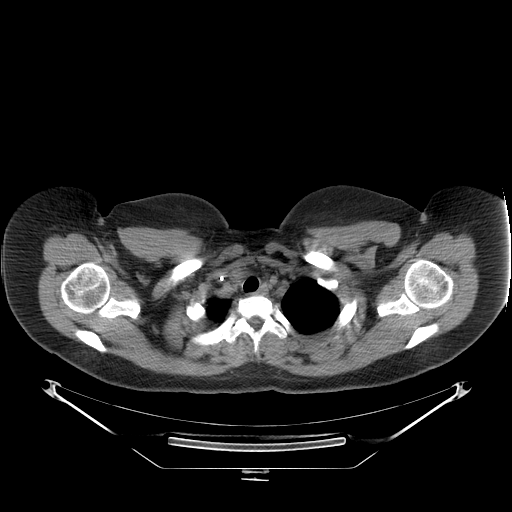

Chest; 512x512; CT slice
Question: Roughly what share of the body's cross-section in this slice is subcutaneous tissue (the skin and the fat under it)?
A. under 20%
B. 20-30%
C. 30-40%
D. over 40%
Answer: C. 30-40%
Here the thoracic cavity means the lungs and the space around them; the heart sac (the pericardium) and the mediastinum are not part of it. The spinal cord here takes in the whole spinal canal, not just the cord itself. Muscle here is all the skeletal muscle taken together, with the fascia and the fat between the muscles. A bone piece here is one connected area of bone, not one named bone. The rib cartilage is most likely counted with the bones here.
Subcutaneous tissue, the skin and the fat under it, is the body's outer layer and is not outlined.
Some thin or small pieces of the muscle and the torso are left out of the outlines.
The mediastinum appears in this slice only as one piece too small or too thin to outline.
Outlined structures:
bones 1: (252, 295) (262, 295) (278, 303) (282, 313) (299, 333) (297, 336) (289, 334) (280, 338) (266, 332) (259, 342) (258, 357) (253, 351) (252, 339) (245, 332) (238, 335) (233, 343) (222, 340) (212, 345) (200, 345) (191, 341) (192, 336) (221, 323) (234, 307) (234, 300) with a hole at (253, 316) (257, 316) (258, 317) (259, 317) (260, 318) (261, 318) (263, 320) (263, 322) (262, 323) (262, 324) (260, 326) (260, 327) (259, 328) (258, 328) (257, 329) (255, 329) (248, 322) (248, 319) (249, 319) (250, 318) (251, 318)
bones 2: (84, 262) (93, 262) (104, 269) (108, 275) (111, 296) (117, 300) (129, 298) (139, 303) (140, 311) (135, 319) (126, 315) (118, 315) (112, 318) (100, 317) (95, 311) (86, 314) (81, 313) (74, 311) (64, 303) (61, 297) (60, 285) (62, 281) (76, 266)
bones 3: (419, 258) (430, 260) (438, 264) (451, 276) (454, 284) (451, 298) (443, 305) (436, 308) (430, 308) (429, 309) (421, 308) (412, 314) (402, 315) (394, 313) (380, 317) (378, 315) (376, 309) (378, 303) (381, 300) (397, 299) (404, 292) (405, 273) (409, 266) (416, 259)
bones 4: (192, 257) (201, 257) (203, 258) (204, 259) (204, 262) (203, 264) (198, 269) (192, 272) (190, 274) (187, 275) (182, 279) (179, 280) (174, 285) (173, 285) (168, 280) (171, 274) (171, 270) (176, 265) (177, 265) (183, 260) (185, 260) (188, 258) (191, 258)
bones 5: (433, 322) (437, 322) (439, 324) (439, 329) (438, 331) (437, 331) (434, 334) (433, 334) (425, 340) (422, 341) (417, 345) (409, 349) (404, 349) (404, 346) (408, 341) (409, 338) (411, 336) (411, 334) (412, 332) (416, 327) (418, 326) (423, 326) (424, 325) (427, 325)
bones 6: (310, 249) (313, 249) (314, 250) (319, 250) (321, 252) (325, 253) (328, 256) (329, 256) (334, 261) (336, 269) (333, 271) (330, 271) (329, 270) (325, 270) (322, 268) (317, 267) (313, 264) (311, 264) (305, 261) (303, 259) (302, 255) (305, 252) (306, 252)
bones 7: (76, 329) (84, 329) (85, 330) (89, 330) (90, 331) (93, 331) (97, 334) (98, 334) (98, 335) (100, 337) (100, 339) (106, 347) (107, 349) (107, 351) (104, 353) (102, 353) (98, 351) (96, 349) (84, 343) (74, 334) (74, 332)
bones 8: (354, 299) (358, 299) (358, 301) (357, 302) (357, 308) (356, 309) (355, 314) (353, 316) (352, 319) (348, 323) (347, 323) (338, 330) (335, 328) (331, 328) (331, 326) (337, 318) (339, 314) (339, 312) (343, 308) (345, 303) (346, 304) (348, 304) (352, 302)
bones 9: (190, 300) (194, 300) (198, 302) (200, 302) (201, 301) (202, 302) (206, 310) (206, 318) (204, 319) (202, 319) (200, 321) (193, 321) (188, 317) (188, 316) (185, 312) (185, 307) (186, 305) (187, 305) (190, 302)
bones 10: (318, 276) (319, 276) (320, 277) (322, 277) (325, 279) (329, 279) (330, 278) (334, 278) (337, 280) (337, 287) (335, 290) (335, 294) (334, 293) (331, 292) (329, 290) (328, 290) (327, 289) (322, 287) (320, 285) (319, 285) (318, 284) (318, 283) (316, 280) (316, 278)
spinal cord: (253, 316) (257, 316) (258, 317) (259, 317) (260, 318) (261, 318) (263, 320) (263, 322) (262, 323) (262, 324) (260, 326) (260, 327) (259, 328) (258, 328) (257, 329) (255, 329) (248, 322) (248, 319) (249, 319) (250, 318) (251, 318)
right arm: (57, 185) (71, 185) (88, 190) (95, 196) (97, 207) (101, 214) (104, 216) (109, 214) (115, 226) (121, 250) (120, 278) (113, 298) (102, 313) (90, 325) (73, 334) (58, 338) (31, 338) (15, 319) (5, 297) (2, 275) (3, 233) (10, 215) (24, 199) (40, 189)
muscle: (363, 220) (398, 223) (401, 244) (446, 229) (470, 233) (476, 243) (480, 281) (473, 309) (459, 325) (422, 343) (439, 331) (440, 324) (418, 325) (405, 350) (345, 373) (300, 376) (255, 363) (206, 377) (155, 373) (106, 354) (107, 347) (93, 330) (73, 332) (90, 347) (68, 338) (49, 324) (40, 309) (37, 282) (45, 264) (42, 245) (59, 231) (117, 241) (120, 226) (186, 228) (217, 246) (241, 243) (253, 250) (272, 240) (291, 246) (307, 227) with holes at (257, 264) (315, 280) (318, 276) (336, 279) (339, 310) (358, 299) (355, 314) (338, 330) (330, 326) (285, 338) (266, 332) (258, 357) (245, 332) (233, 343) (192, 342) (192, 336) (218, 325) (207, 317) (190, 319) (185, 312) (190, 300) (200, 302) (209, 283) (222, 272) and at (84, 262) (93, 262) (104, 269) (108, 275) (111, 296) (117, 300) (129, 298) (139, 303) (140, 311) (135, 319) (126, 315) (118, 315) (112, 318) (100, 317) (95, 311) (86, 314) (81, 313) (74, 311) (64, 303) (61, 297) (60, 285) (62, 281) (76, 266) and at (419, 258) (430, 260) (438, 264) (451, 276) (454, 284) (451, 298) (443, 305) (436, 308) (430, 308) (429, 309) (421, 308) (412, 314) (402, 315) (394, 313) (380, 317) (378, 315) (376, 309) (378, 303) (381, 300) (397, 299) (404, 292) (405, 273) (409, 266) (416, 259) and at (192, 257) (201, 257) (203, 258) (204, 259) (204, 262) (203, 264) (198, 269) (192, 272) (190, 274) (187, 275) (182, 279) (179, 280) (174, 285) (173, 285) (168, 280) (171, 274) (171, 270) (176, 265) (177, 265) (183, 260) (185, 260) (188, 258) (191, 258) and at (310, 249) (313, 249) (314, 250) (319, 250) (321, 252) (325, 253) (328, 256) (329, 256) (334, 261) (336, 269) (333, 271) (330, 271) (329, 270) (325, 270) (322, 268) (317, 267) (313, 264) (311, 264) (305, 261) (303, 259) (302, 255) (305, 252) (306, 252)
thoracic cavity: (257, 264) (272, 268) (285, 268) (290, 272) (312, 278) (319, 286) (334, 294) (339, 303) (339, 311) (332, 324) (320, 331) (301, 333) (283, 313) (280, 304) (263, 293) (235, 297) (221, 322) (217, 324) (209, 319) (202, 301) (209, 283) (215, 280) (222, 272) (231, 268)
torso: (333, 184) (365, 187) (413, 206) (394, 245) (399, 292) (434, 326) (480, 337) (437, 368) (387, 386) (327, 393) (136, 391) (103, 383) (31, 339) (73, 335) (114, 298) (122, 271) (109, 213) (114, 205) (186, 192) (211, 202) (231, 227) (256, 229) (276, 227) (304, 195)
left arm: (455, 184) (481, 187) (496, 193) (502, 201) (503, 198) (505, 225) (507, 225) (507, 220) (507, 227) (511, 234) (511, 276) (507, 284) (505, 305) (481, 336) (449, 332) (424, 319) (402, 295) (394, 276) (396, 240) (408, 214) (414, 207) (422, 210) (431, 195) (437, 190)